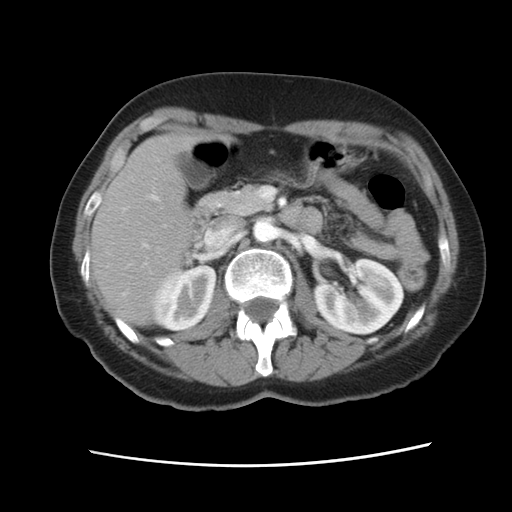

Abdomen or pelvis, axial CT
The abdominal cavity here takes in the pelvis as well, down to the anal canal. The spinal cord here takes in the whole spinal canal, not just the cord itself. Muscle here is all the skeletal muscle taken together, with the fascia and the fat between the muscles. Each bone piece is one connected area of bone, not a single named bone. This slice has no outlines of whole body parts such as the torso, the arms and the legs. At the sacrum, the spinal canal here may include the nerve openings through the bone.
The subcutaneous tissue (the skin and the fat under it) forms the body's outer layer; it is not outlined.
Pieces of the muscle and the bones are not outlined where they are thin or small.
{"spinal_cord":[[[257,297],[264,297],[265,298],[270,298],[271,299],[274,299],[278,302],[277,308],[273,313],[273,315],[272,316],[271,320],[268,321],[264,324],[260,324],[255,321],[253,321],[250,318],[250,317],[245,310],[244,304],[247,301],[249,301]]],"muscle":[{"outer":[[162,106],[182,106],[262,125],[283,126],[310,119],[356,120],[411,135],[442,182],[459,242],[454,284],[438,304],[433,329],[396,354],[354,371],[311,382],[266,377],[274,370],[275,341],[298,334],[287,299],[294,284],[292,259],[298,262],[308,282],[317,316],[334,330],[372,345],[378,336],[395,330],[410,314],[403,332],[413,329],[424,314],[424,301],[438,276],[440,259],[446,268],[451,263],[449,241],[439,229],[436,210],[410,169],[378,146],[273,130],[239,133],[151,129],[163,120],[152,114],[138,122],[137,129],[145,132],[127,151],[122,144],[116,147],[108,167],[115,171],[113,176],[103,192],[94,190],[84,205],[82,214],[91,216],[89,249],[83,254],[79,275],[88,286],[90,269],[94,289],[119,331],[131,343],[140,341],[139,334],[161,347],[174,345],[170,336],[205,319],[220,277],[227,295],[238,305],[234,332],[230,334],[254,344],[254,369],[262,377],[233,387],[196,384],[157,372],[119,349],[103,334],[84,297],[71,247],[75,217],[80,199],[115,136],[142,114]],"hole":[[427,175],[428,175],[429,176],[429,177],[430,178],[430,179],[431,180],[431,183],[432,184],[432,191],[431,191],[429,189],[429,188],[428,187],[428,186],[427,185],[427,184],[426,183],[426,176]]}],"bones":[{"outer":[[250,248],[269,249],[281,254],[288,261],[293,275],[292,288],[286,299],[297,334],[274,341],[271,351],[273,370],[265,377],[255,369],[258,360],[255,344],[251,340],[241,340],[231,334],[235,332],[239,305],[224,287],[224,273],[229,262],[238,253]],"hole":[[257,297],[264,297],[265,298],[270,298],[271,299],[274,299],[278,302],[277,308],[273,313],[273,315],[272,316],[271,320],[268,321],[264,324],[260,324],[255,321],[253,321],[250,318],[250,317],[245,310],[244,304],[247,301],[249,301]]},[[440,232],[443,232],[444,233],[448,241],[448,245],[449,246],[449,252],[450,253],[450,263],[449,264],[449,266],[447,267],[446,267],[444,265],[441,259],[441,256],[440,255],[440,249],[439,248],[439,245],[438,244],[438,239],[439,238]],[[96,190],[99,191],[101,193],[101,200],[100,201],[99,204],[97,206],[97,207],[93,212],[93,213],[91,215],[90,215],[89,216],[85,216],[83,214],[83,211],[84,210],[85,205],[86,204],[89,197],[92,194],[92,193],[94,191],[95,191]],[[120,145],[122,145],[123,146],[123,148],[126,151],[126,153],[125,154],[124,159],[121,163],[121,164],[117,168],[117,169],[116,169],[114,171],[112,171],[110,170],[110,168],[109,167],[110,166],[110,161],[115,150],[117,148],[117,147]],[[115,318],[117,318],[118,319],[119,319],[122,322],[125,323],[128,326],[129,326],[135,332],[135,333],[139,340],[139,341],[137,343],[133,343],[132,342],[131,342],[120,331],[120,330],[118,328],[118,327],[116,324],[116,322],[115,321]],[[422,303],[424,303],[425,304],[425,308],[424,309],[423,314],[420,320],[418,322],[418,323],[413,328],[410,329],[407,332],[404,332],[404,329],[406,326],[406,324],[408,322],[408,321],[410,319],[410,318],[412,316],[414,312],[420,306],[420,305]],[[87,249],[88,249],[89,250],[89,280],[88,281],[88,285],[86,285],[85,284],[85,283],[84,282],[84,281],[82,279],[82,278],[80,275],[80,268],[81,267],[81,263],[82,262],[82,260],[84,257],[84,254],[85,253],[85,252]],[[152,115],[155,115],[156,116],[159,116],[162,119],[162,120],[159,123],[157,123],[155,125],[154,125],[150,129],[149,129],[146,131],[142,131],[141,130],[138,129],[138,124],[139,123],[139,122],[141,120],[142,120],[147,117],[149,117]]],"abdominal_cavity":[[[161,129],[286,132],[357,142],[392,154],[409,169],[437,216],[440,258],[429,294],[392,331],[362,338],[318,316],[295,258],[290,264],[273,249],[250,247],[228,262],[223,282],[218,277],[201,322],[154,340],[136,333],[95,289],[90,224],[132,143]]]}